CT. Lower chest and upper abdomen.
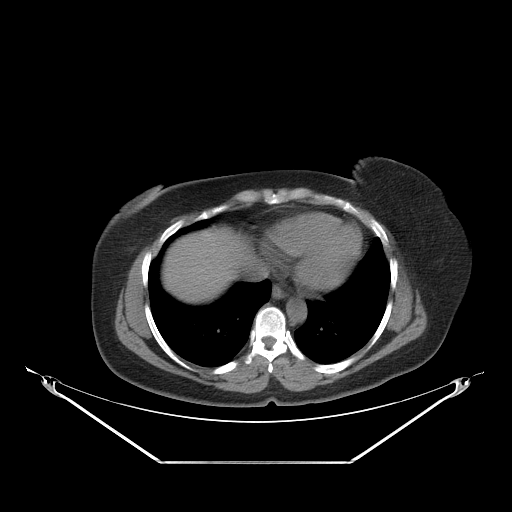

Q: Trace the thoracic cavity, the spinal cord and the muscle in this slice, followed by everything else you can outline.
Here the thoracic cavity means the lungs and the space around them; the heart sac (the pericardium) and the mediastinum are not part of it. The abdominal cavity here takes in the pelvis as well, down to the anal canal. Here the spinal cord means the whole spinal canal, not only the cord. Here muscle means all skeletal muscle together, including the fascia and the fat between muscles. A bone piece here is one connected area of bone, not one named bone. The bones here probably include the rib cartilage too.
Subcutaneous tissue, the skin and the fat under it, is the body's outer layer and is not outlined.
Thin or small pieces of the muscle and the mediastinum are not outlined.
A: Outlined structures:
thoracic cavity 1: [[215,216],[208,225],[182,233],[167,246],[158,270],[163,290],[182,304],[208,306],[219,300],[237,282],[267,279],[270,282],[270,296],[253,318],[247,344],[233,359],[209,367],[180,357],[162,336],[150,307],[148,274],[152,260],[172,235],[193,222]]
thoracic cavity 2: [[376,236],[380,240],[383,247],[388,262],[390,275],[387,301],[380,321],[369,340],[353,354],[336,362],[316,362],[307,357],[302,352],[293,337],[294,332],[305,323],[308,317],[307,301],[321,299],[323,295],[340,287],[350,276],[356,265],[369,249]]
spinal cord: [[267,336],[270,336],[271,337],[273,337],[275,339],[275,342],[271,346],[271,347],[270,348],[267,348],[265,346],[265,344],[264,343],[264,342],[263,341],[263,338],[264,337],[266,337]]
muscle 1: [[210,206],[203,209],[191,223],[185,226],[183,218],[168,225],[158,238],[157,253],[154,255],[147,250],[140,265],[141,282],[148,291],[149,303],[146,302],[143,309],[149,329],[160,348],[183,368],[195,370],[181,358],[199,366],[213,368],[211,373],[214,375],[230,372],[239,363],[235,359],[236,356],[248,344],[250,348],[244,355],[243,362],[248,365],[256,355],[262,356],[267,360],[269,373],[273,371],[273,360],[288,351],[301,361],[308,358],[315,362],[312,368],[318,373],[334,374],[350,366],[362,356],[354,354],[356,352],[367,343],[366,351],[375,344],[384,331],[392,312],[393,300],[388,300],[388,296],[390,288],[391,290],[396,288],[399,264],[394,256],[388,259],[386,256],[384,247],[389,244],[389,239],[380,223],[393,236],[403,256],[411,285],[418,290],[427,315],[425,330],[417,338],[351,374],[331,383],[302,391],[289,390],[272,378],[268,385],[258,392],[228,391],[174,374],[149,363],[128,349],[116,334],[114,319],[120,291],[126,283],[127,273],[137,255],[165,223],[178,215]]
muscle 2: [[235,193],[236,193],[234,196],[234,198],[236,201],[240,203],[253,203],[247,206],[243,206],[242,207],[239,207],[238,208],[234,208],[233,209],[229,209],[230,208],[230,205],[228,203],[226,203],[225,202],[216,204],[218,203],[220,203],[224,201]]
muscle 3: [[350,202],[352,202],[354,204],[355,204],[356,205],[357,205],[358,206],[359,206],[360,207],[361,207],[362,208],[367,210],[369,212],[370,212],[375,218],[374,218],[373,217],[368,217],[365,219],[363,217],[362,214],[359,211],[359,210]]
torso: [[366,155],[385,156],[427,174],[448,194],[471,239],[467,291],[430,359],[366,391],[322,403],[278,406],[271,401],[263,407],[172,399],[137,387],[108,368],[91,322],[92,253],[108,219],[131,195],[160,182],[267,169],[310,169],[348,177],[352,164]]
mediastinum 1: [[265,267],[267,267],[269,270],[270,276],[281,284],[291,294],[307,300],[307,317],[304,323],[298,327],[292,335],[287,328],[286,316],[278,307],[274,305],[262,306],[269,300],[271,296],[271,282],[267,278],[258,281],[241,280],[248,273],[258,268]]
mediastinum 2: [[289,201],[307,202],[308,203],[315,204],[316,205],[331,205],[339,208],[333,208],[327,205],[311,205],[310,204],[282,204],[266,209],[256,214],[253,214],[243,222],[218,221],[212,223],[217,218],[216,215],[228,210],[247,207],[256,202],[263,202],[268,205],[274,205],[285,203]]
mediastinum 3: [[354,216],[355,216],[358,219],[359,219],[362,222],[363,222],[363,223],[365,224],[373,232],[373,233],[375,235],[375,236],[371,241],[371,243],[370,245],[370,243],[367,239],[368,238],[368,233],[366,229],[364,227],[364,226]]
bones 1: [[269,306],[278,308],[284,314],[286,328],[290,332],[297,347],[306,357],[304,360],[301,360],[288,350],[279,354],[272,360],[271,372],[268,371],[268,360],[262,355],[256,354],[248,364],[244,362],[245,355],[251,348],[248,343],[254,318],[260,308]]; inner edge: [[267,336],[270,336],[271,337],[273,337],[275,339],[275,342],[271,346],[271,347],[270,348],[267,348],[265,346],[265,344],[264,343],[264,342],[263,341],[263,338],[264,337],[266,337]]
bones 2: [[299,187],[348,201],[365,220],[373,218],[381,225],[388,244],[383,246],[381,240],[363,221],[335,205],[311,203],[307,199],[274,204],[264,202],[261,197],[253,202],[236,200],[236,194],[242,191],[260,193],[267,189],[277,193],[282,189],[290,190]]
bones 3: [[146,303],[149,304],[149,307],[151,311],[151,314],[153,320],[157,327],[157,329],[159,331],[163,339],[169,347],[178,356],[178,357],[194,370],[187,369],[178,364],[174,361],[158,344],[150,329],[150,327],[148,324],[145,315],[144,306]]
bones 4: [[352,355],[355,355],[356,356],[357,355],[361,355],[361,356],[350,365],[340,371],[338,371],[334,373],[330,373],[329,374],[328,373],[318,372],[314,370],[313,368],[315,364],[317,363],[319,364],[331,364],[332,363],[336,363],[342,360],[344,360]]
bones 5: [[389,300],[392,300],[392,307],[391,308],[391,312],[390,313],[389,318],[386,323],[386,325],[383,331],[377,340],[374,343],[374,344],[370,348],[366,350],[368,342],[378,327],[381,321],[381,319],[383,316],[383,314],[385,311],[387,302]]
bones 6: [[223,203],[225,203],[229,205],[229,208],[227,210],[225,211],[222,211],[209,218],[206,218],[205,219],[201,219],[200,220],[197,220],[196,221],[194,221],[194,219],[198,215],[199,215],[203,210],[208,209],[213,206],[215,206],[219,204],[222,204]]
bones 7: [[180,219],[183,219],[184,220],[184,224],[183,226],[181,227],[178,230],[177,230],[173,234],[172,234],[161,245],[160,247],[159,246],[159,238],[161,234],[163,232],[163,231],[168,226],[169,226],[174,222]]
bones 8: [[147,251],[150,251],[152,253],[152,254],[154,256],[155,256],[153,257],[149,265],[149,268],[148,269],[148,273],[147,274],[147,287],[145,287],[143,285],[143,283],[142,282],[142,274],[141,273],[141,265],[142,264],[143,257],[145,253]]
bones 9: [[391,257],[394,257],[397,260],[397,263],[398,264],[398,266],[397,267],[397,280],[396,281],[396,283],[395,284],[395,288],[394,289],[391,289],[390,287],[390,278],[391,277],[391,275],[390,274],[390,268],[389,267],[389,262],[388,260],[389,258]]
bones 10: [[234,359],[235,360],[236,360],[238,363],[235,367],[235,368],[234,368],[232,370],[231,370],[230,371],[228,371],[227,372],[225,372],[224,373],[220,373],[219,374],[214,374],[213,373],[212,373],[212,370],[214,368],[215,368],[218,366],[223,365]]
abdominal cavity: [[218,222],[242,223],[242,227],[248,233],[262,263],[265,266],[258,267],[248,272],[239,281],[234,283],[219,299],[208,305],[195,306],[182,303],[166,292],[161,285],[159,270],[164,253],[168,246],[182,234],[185,234],[192,230],[204,228],[210,224]]
pericardium: [[282,205],[327,206],[333,209],[345,210],[363,226],[367,233],[366,239],[369,243],[369,247],[361,256],[349,276],[341,285],[323,294],[321,298],[307,299],[296,296],[274,279],[271,276],[268,267],[263,263],[249,233],[243,227],[243,223],[253,215]]